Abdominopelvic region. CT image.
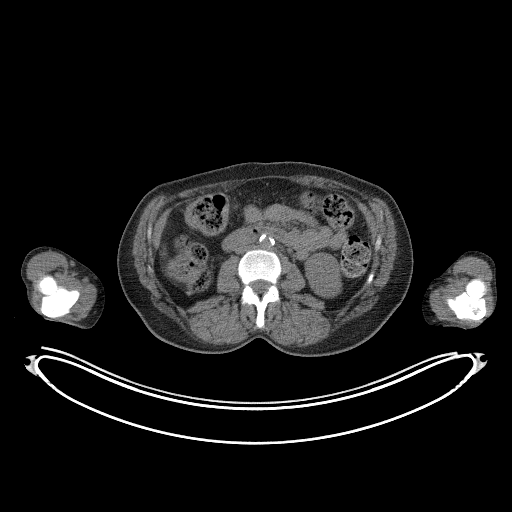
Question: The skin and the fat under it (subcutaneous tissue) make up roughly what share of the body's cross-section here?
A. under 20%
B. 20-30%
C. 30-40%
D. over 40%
Answer: B. 20-30%
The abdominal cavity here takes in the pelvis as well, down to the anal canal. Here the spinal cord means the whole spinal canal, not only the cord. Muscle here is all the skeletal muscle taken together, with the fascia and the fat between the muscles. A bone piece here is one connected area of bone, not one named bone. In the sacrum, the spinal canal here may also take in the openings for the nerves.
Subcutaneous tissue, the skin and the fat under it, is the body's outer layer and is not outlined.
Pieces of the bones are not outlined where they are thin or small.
Outlines:
spinal cord: (256, 280) (263, 280) (264, 281) (267, 281) (269, 283) (269, 285) (268, 286) (268, 287) (267, 288) (267, 289) (264, 292) (263, 292) (262, 293) (257, 293) (254, 291) (254, 290) (252, 288) (252, 287) (250, 285) (250, 283) (251, 283) (253, 281) (255, 281)
muscle 1: (264, 175) (320, 176) (339, 181) (365, 194) (382, 199) (391, 212) (396, 231) (395, 236) (397, 249) (393, 268) (387, 283) (371, 309) (361, 316) (345, 323) (332, 332) (328, 337) (315, 344) (301, 347) (288, 347) (277, 342) (262, 330) (256, 330) (236, 343) (215, 345) (204, 344) (188, 334) (171, 318) (159, 311) (150, 299) (150, 292) (141, 284) (134, 266) (134, 258) (132, 254) (133, 240) (140, 217) (149, 201) (157, 195) (171, 195) (204, 184), around holes outlined by (264, 179) (351, 197) (373, 246) (381, 236) (371, 282) (345, 305) (328, 309) (300, 291) (306, 285) (302, 272) (281, 255) (280, 300) (266, 305) (258, 328) (256, 306) (241, 303) (233, 254) (219, 266) (218, 294) (186, 308) (174, 303) (154, 268) (168, 213) (181, 202) and by (149, 226) (150, 226) (150, 227) (151, 228) (151, 237) (150, 238) (150, 239) (149, 240) (148, 239) (148, 237) (147, 236) (147, 230) (148, 229) (148, 228) (149, 227)
muscle 2: (49, 250) (71, 259) (75, 268) (87, 276) (95, 286) (96, 299) (87, 316) (79, 320) (59, 317) (70, 312) (80, 297) (80, 291) (59, 284) (51, 274) (45, 274) (37, 280) (36, 288) (41, 297) (39, 311) (34, 306) (31, 282) (26, 276) (27, 263) (34, 255)
muscle 3: (466, 256) (476, 256) (488, 263) (492, 273) (493, 306) (487, 314) (484, 297) (487, 292) (487, 286) (481, 278) (473, 277) (465, 284) (462, 291) (454, 296) (448, 296) (445, 302) (458, 319) (478, 321) (467, 325) (439, 320) (431, 309) (430, 294) (444, 283) (453, 266)
right arm: (43, 245) (53, 246) (66, 252) (87, 266) (100, 279) (104, 287) (105, 301) (102, 313) (97, 322) (92, 327) (88, 329) (83, 329) (67, 323) (50, 321) (43, 319) (34, 311) (28, 303) (26, 297) (26, 288) (20, 276) (21, 263) (25, 255) (31, 249)
bones 1: (252, 249) (263, 249) (274, 252) (281, 264) (281, 272) (276, 283) (280, 300) (278, 302) (269, 302) (266, 305) (264, 325) (261, 328) (258, 328) (255, 323) (257, 315) (256, 306) (254, 304) (242, 304) (240, 300) (243, 284) (238, 275) (237, 267) (240, 258) (248, 250); inner edge: (256, 280) (263, 280) (264, 281) (267, 281) (269, 283) (269, 285) (268, 286) (268, 287) (267, 288) (267, 289) (264, 292) (263, 292) (262, 293) (257, 293) (254, 291) (254, 290) (252, 288) (252, 287) (250, 285) (250, 283) (251, 283) (253, 281) (255, 281)
bones 2: (45, 275) (51, 275) (56, 280) (59, 285) (61, 285) (67, 289) (70, 290) (71, 289) (76, 289) (79, 291) (79, 297) (76, 302) (70, 308) (68, 313) (58, 317) (49, 317) (42, 314) (40, 312) (40, 305) (41, 304) (42, 294) (37, 288) (37, 283) (38, 280)
bones 3: (473, 278) (479, 278) (481, 279) (484, 282) (486, 286) (486, 292) (483, 296) (485, 300) (485, 305) (486, 306) (486, 315) (480, 320) (460, 319) (456, 316) (454, 312) (448, 306) (446, 302) (446, 299) (448, 297) (454, 297) (462, 292) (465, 289) (465, 286) (466, 284)
abdominal cavity: (264, 179) (331, 188) (355, 201) (374, 248) (371, 271) (360, 289) (345, 305) (328, 309) (323, 300) (300, 291) (306, 281) (293, 261) (271, 250) (252, 248) (239, 259) (233, 254) (221, 263) (216, 277) (218, 294) (186, 308) (174, 303) (154, 268) (168, 213) (181, 202)
left arm: (468, 250) (481, 251) (489, 255) (493, 259) (495, 263) (496, 286) (497, 287) (497, 303) (493, 313) (480, 325) (470, 329) (463, 329) (453, 326) (433, 326) (428, 324) (423, 317) (421, 307) (422, 306) (423, 295) (428, 285) (434, 278) (440, 275) (454, 260) (462, 253)
torso: (251, 161) (303, 161) (334, 167) (381, 186) (396, 201) (408, 228) (413, 249) (411, 281) (400, 305) (379, 330) (363, 343) (343, 352) (316, 357) (284, 353) (261, 338) (226, 353) (193, 352) (154, 336) (127, 301) (117, 274) (117, 249) (126, 223) (144, 194) (165, 181)